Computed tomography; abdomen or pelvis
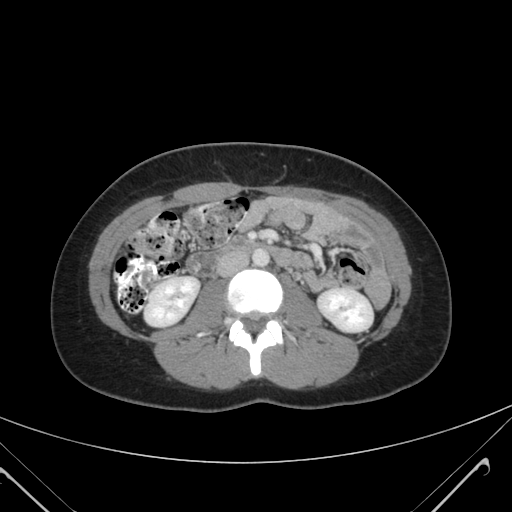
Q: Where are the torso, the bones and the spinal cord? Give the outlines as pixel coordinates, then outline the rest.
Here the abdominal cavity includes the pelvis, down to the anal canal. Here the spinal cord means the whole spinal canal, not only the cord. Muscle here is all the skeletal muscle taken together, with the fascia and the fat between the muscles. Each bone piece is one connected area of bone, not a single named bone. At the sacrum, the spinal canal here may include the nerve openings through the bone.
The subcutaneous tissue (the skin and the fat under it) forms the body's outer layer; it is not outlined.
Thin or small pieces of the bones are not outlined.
A: {"torso":[[[198,413],[258,402],[298,409],[367,403],[417,384],[439,365],[452,328],[446,263],[424,221],[378,175],[346,157],[308,146],[253,141],[199,143],[170,149],[135,164],[85,210],[61,249],[50,290],[50,330],[60,361],[76,380],[108,397],[146,407]]],"bones":[{"outer":[[255,377],[261,371],[262,350],[268,346],[283,343],[282,329],[274,315],[282,303],[283,290],[279,280],[271,272],[247,268],[236,273],[227,284],[226,298],[233,315],[226,316],[224,323],[229,325],[229,340],[235,346],[241,346],[248,351],[250,370]],"hole":[[252,334],[254,334],[255,333],[258,333],[260,332],[264,328],[264,326],[266,322],[266,318],[265,317],[263,316],[261,316],[260,315],[257,315],[256,314],[250,314],[243,318],[242,320],[242,322],[244,324],[244,328],[248,332]]}],"spinal_cord":[[[252,334],[254,334],[255,333],[258,333],[260,332],[264,328],[264,326],[266,322],[266,318],[265,317],[263,316],[261,316],[260,315],[257,315],[256,314],[250,314],[243,318],[242,320],[242,322],[244,324],[244,328],[248,332]]],"muscle":[{"outer":[[211,390],[233,389],[254,378],[266,379],[277,386],[287,389],[311,390],[327,386],[348,374],[355,367],[364,349],[385,337],[399,322],[410,297],[411,266],[399,233],[389,219],[363,200],[345,194],[299,185],[250,186],[230,182],[200,182],[183,186],[169,192],[141,199],[117,215],[100,233],[90,258],[88,290],[91,302],[98,317],[106,325],[120,334],[128,338],[145,342],[151,348],[160,366],[173,379],[190,386]],"holes":[[[255,377],[262,350],[283,343],[278,276],[288,273],[305,290],[326,328],[356,339],[393,302],[381,249],[338,211],[301,198],[244,191],[160,212],[112,264],[119,315],[142,334],[170,327],[206,280],[223,278],[233,313],[224,319],[228,338],[248,351]],[[197,337],[199,337],[200,336],[203,336],[204,335],[206,335],[207,334],[208,334],[210,332],[210,331],[200,331],[199,332],[198,332],[197,333],[196,333],[196,336]]]}],"abdominal_cavity":[[[355,339],[379,324],[393,302],[394,292],[378,244],[362,228],[322,203],[244,191],[224,199],[171,207],[134,231],[112,264],[112,301],[122,319],[142,334],[182,322],[206,280],[228,281],[239,270],[256,267],[278,278],[288,273],[315,302],[326,328]]]}